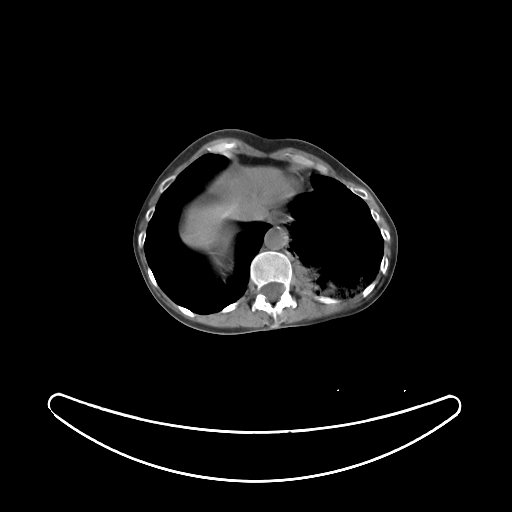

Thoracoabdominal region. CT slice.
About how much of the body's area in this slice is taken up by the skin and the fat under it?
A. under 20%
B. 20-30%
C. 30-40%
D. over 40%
Answer: A. under 20%
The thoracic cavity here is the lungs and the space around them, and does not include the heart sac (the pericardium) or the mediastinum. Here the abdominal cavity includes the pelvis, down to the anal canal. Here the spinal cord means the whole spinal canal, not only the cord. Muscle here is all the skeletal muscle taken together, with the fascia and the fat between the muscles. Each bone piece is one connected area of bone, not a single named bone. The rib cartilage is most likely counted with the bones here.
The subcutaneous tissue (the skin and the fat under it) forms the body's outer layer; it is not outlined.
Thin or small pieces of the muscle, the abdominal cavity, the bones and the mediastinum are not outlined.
{"muscle":[[[387,270],[374,293],[355,307],[313,319],[288,323],[278,321],[277,317],[284,308],[293,309],[297,306],[297,301],[291,293],[293,273],[307,290],[315,294],[315,300],[334,305],[340,300],[360,293],[365,298],[374,289],[374,279],[378,272],[384,275]],[[250,282],[255,288],[255,295],[250,306],[251,311],[264,311],[273,320],[272,324],[259,327],[216,327],[192,321],[168,306],[152,286],[161,289],[184,315],[193,318],[197,314],[205,315],[217,312],[223,314],[234,310],[240,303],[240,298],[248,289]],[[223,137],[234,137],[238,138],[254,148],[266,153],[269,153],[287,147],[291,147],[305,151],[325,161],[332,167],[338,175],[361,186],[349,186],[347,187],[339,180],[328,175],[329,171],[328,168],[325,165],[321,163],[316,163],[313,160],[301,154],[297,154],[296,153],[292,154],[289,152],[285,153],[285,155],[289,157],[292,160],[293,163],[285,160],[274,159],[269,157],[250,156],[243,153],[235,153],[231,151],[232,149],[237,146],[237,143],[235,141],[226,141],[225,140],[221,140],[216,143],[208,145],[205,148],[205,150],[207,152],[206,153],[204,153],[192,161],[178,173],[177,175],[176,174],[169,175],[178,166],[187,160],[205,143]],[[369,193],[372,196],[378,206],[380,210],[380,213],[384,217],[386,222],[388,224],[390,229],[390,233],[386,228],[382,226],[379,227],[378,226],[377,224],[380,222],[381,219],[380,215],[379,213],[372,207],[369,207],[366,202],[366,201],[370,198]],[[157,188],[157,190],[160,193],[160,195],[159,196],[159,197],[158,198],[158,199],[157,200],[155,205],[153,205],[152,206],[149,207],[149,201],[150,200],[150,199],[152,197],[152,196],[154,194],[154,193],[155,192],[155,191],[157,189]]],"thoracic_cavity":[[[313,174],[329,176],[339,181],[352,193],[365,201],[383,240],[383,253],[374,278],[361,292],[345,299],[332,298],[307,289],[297,278],[290,260],[283,251],[290,241],[288,227],[295,221],[290,212],[289,205],[299,195],[313,191],[310,181],[310,177]],[[207,153],[224,156],[227,161],[183,204],[176,232],[188,250],[205,260],[211,279],[225,283],[234,273],[237,239],[245,225],[270,225],[250,262],[249,282],[243,295],[216,312],[203,314],[176,303],[163,291],[148,265],[144,244],[161,194],[178,174]]],"torso":[[[223,128],[239,128],[266,137],[291,137],[308,141],[339,160],[374,191],[395,224],[398,250],[391,280],[383,293],[371,305],[353,315],[323,323],[223,335],[184,325],[154,299],[141,275],[132,247],[133,228],[138,212],[156,178],[183,149],[202,135]]],"mediastinum":[[[271,224],[274,226],[283,226],[283,227],[285,228],[286,230],[287,230],[289,234],[289,241],[286,245],[286,246],[282,249],[282,252],[280,251],[278,251],[277,250],[262,250],[261,251],[259,251],[262,245],[264,236],[266,232],[270,227]],[[301,165],[307,168],[314,168],[315,170],[319,173],[313,173],[309,177],[309,181],[310,182],[310,184],[312,188],[312,191],[311,192],[310,191],[308,191],[306,190],[303,186],[303,175],[301,172],[301,170],[302,169],[302,167]]],"bones":[{"outer":[[262,251],[282,253],[289,260],[293,271],[290,293],[296,301],[296,306],[293,308],[288,306],[282,309],[276,317],[279,325],[275,328],[271,327],[274,320],[266,311],[260,309],[252,311],[251,309],[256,295],[256,288],[250,281],[250,265],[253,258]],"hole":[[272,282],[275,282],[276,283],[280,283],[282,284],[283,286],[283,290],[280,294],[278,299],[274,301],[269,301],[267,300],[267,298],[266,296],[261,292],[261,289],[263,286],[269,283],[271,283]]},[[286,153],[289,153],[292,155],[295,155],[296,154],[297,155],[301,155],[306,158],[308,158],[316,164],[321,164],[325,166],[327,168],[328,171],[327,175],[324,175],[320,173],[316,170],[314,167],[307,167],[299,163],[295,163],[289,156],[286,155]],[[221,141],[225,141],[226,142],[235,142],[236,143],[236,146],[232,148],[230,150],[230,151],[224,151],[223,152],[221,152],[220,154],[219,154],[218,153],[213,153],[212,152],[208,152],[206,150],[206,148],[208,146],[210,146],[211,145],[216,144]],[[349,187],[361,187],[362,188],[363,188],[364,189],[365,189],[367,191],[367,192],[368,193],[368,195],[369,196],[369,198],[367,200],[364,200],[362,198],[361,198],[358,195],[357,195],[356,194],[355,194],[353,192],[352,192],[349,189]],[[172,175],[176,175],[176,177],[173,180],[173,181],[172,181],[171,182],[171,183],[168,186],[168,187],[167,188],[166,188],[161,193],[158,190],[158,186],[159,185],[159,184],[165,178],[166,178],[167,177],[168,177],[169,176],[171,176]],[[316,294],[319,296],[326,296],[327,297],[329,297],[332,299],[335,299],[336,300],[339,300],[339,302],[338,303],[335,303],[334,304],[333,304],[332,303],[324,303],[323,302],[321,302],[320,301],[319,301],[318,300],[317,300],[314,298],[314,296]],[[383,254],[384,254],[387,257],[387,259],[388,260],[388,267],[387,268],[387,269],[386,270],[386,272],[384,274],[383,274],[379,270],[379,266],[380,265],[380,262],[381,261],[381,259],[382,258],[382,257],[383,256]],[[239,299],[239,303],[237,305],[237,306],[234,309],[233,309],[230,311],[228,311],[227,312],[224,312],[223,313],[222,313],[221,312],[219,312],[219,311],[220,311],[224,307],[227,306],[229,304],[231,304],[232,303],[233,303],[235,301],[236,301]],[[148,266],[150,268],[150,269],[151,270],[151,271],[154,276],[154,278],[155,279],[155,280],[156,281],[157,284],[159,286],[159,287],[160,288],[157,288],[156,287],[155,287],[151,283],[151,282],[148,277],[148,275],[147,274],[147,268],[148,267]],[[176,304],[177,304],[178,305],[180,305],[181,306],[182,306],[183,307],[184,307],[185,308],[186,308],[187,309],[190,310],[192,312],[195,313],[196,314],[196,315],[193,317],[191,317],[190,316],[188,316],[187,315],[184,314],[176,306]],[[380,227],[382,227],[383,228],[384,228],[385,229],[386,229],[389,232],[389,233],[390,234],[390,239],[389,240],[388,240],[387,241],[385,241],[383,239],[383,238],[382,237],[382,236],[381,235],[381,233],[380,232],[380,229],[379,228]],[[373,280],[374,280],[375,281],[375,285],[374,286],[374,287],[373,288],[373,289],[365,297],[363,297],[363,296],[362,295],[362,292],[366,288],[367,288],[368,287],[368,286],[372,282],[372,281]],[[153,206],[155,206],[155,209],[154,210],[154,211],[153,212],[153,214],[152,215],[152,216],[151,217],[151,218],[148,221],[147,221],[146,220],[146,219],[145,218],[145,213],[146,212],[146,211],[149,208],[150,208],[151,207],[152,207]],[[370,208],[372,208],[376,212],[377,212],[378,213],[378,214],[379,215],[379,217],[380,218],[380,219],[379,220],[379,222],[378,223],[377,223],[373,219],[373,218],[372,217],[372,216],[371,215],[371,213],[370,212]]],"spinal_cord":[[[272,282],[275,282],[276,283],[280,283],[282,284],[283,286],[283,290],[280,294],[278,299],[274,301],[269,301],[267,300],[267,298],[266,296],[261,292],[261,289],[263,286],[269,283],[271,283]]],"abdominal_cavity":[[[224,152],[298,164],[301,167],[302,186],[307,191],[299,194],[288,205],[294,221],[287,229],[283,225],[271,223],[243,226],[236,239],[233,273],[222,282],[214,281],[206,260],[182,243],[177,226],[184,204],[214,172],[227,163],[228,159],[221,154]]]}